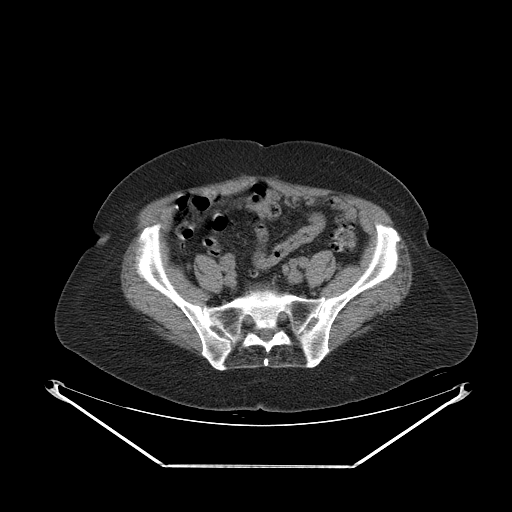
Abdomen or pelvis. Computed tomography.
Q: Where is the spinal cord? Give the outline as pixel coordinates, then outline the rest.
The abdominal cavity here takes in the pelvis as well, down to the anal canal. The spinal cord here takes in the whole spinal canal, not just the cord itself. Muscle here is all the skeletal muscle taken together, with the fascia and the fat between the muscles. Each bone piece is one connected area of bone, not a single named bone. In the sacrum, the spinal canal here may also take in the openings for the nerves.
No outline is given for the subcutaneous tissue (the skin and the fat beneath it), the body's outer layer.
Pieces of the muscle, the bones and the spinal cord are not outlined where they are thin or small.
A: Outlines (x, y in pixels):
spinal cord: 261,329 273,329 275,331 274,332 274,333 272,335 272,336 271,337 271,338 270,339 269,339 268,340 264,340 263,339 262,339 256,333 256,331 257,331 258,330 260,330
abdominal cavity: 257,180 285,195 338,196 359,210 367,241 355,264 338,266 330,249 307,260 308,285 327,282 319,297 264,286 210,306 210,293 223,287 220,266 198,253 192,264 197,286 171,260 173,206 184,194 231,195
bones: 375,223 400,236 396,269 338,312 329,352 314,367 305,367 291,334 290,344 268,352 232,342 226,369 215,369 189,319 135,266 141,232 159,224 165,273 192,304 219,306 264,287 329,298 368,266 with holes at 261,329 273,329 275,331 274,332 274,333 272,335 272,336 271,337 271,338 270,339 269,339 268,340 264,340 263,339 262,339 256,333 256,331 257,331 258,330 260,330 and at 246,315 248,315 249,316 250,316 250,317 251,318 251,320 252,321 252,324 251,325 251,326 248,328 246,328 245,327 244,327 244,326 243,325 243,324 244,323 243,322 243,318 244,317 244,316 245,316 and at 282,312 283,312 284,313 285,313 285,314 287,316 287,317 288,318 288,321 287,322 287,323 286,323 285,324 284,324 283,325 282,325 281,324 280,324 280,323 279,322 279,315 280,314 280,313 281,313
torso: 214,137 265,145 288,139 328,143 368,157 403,182 428,221 429,243 451,259 472,296 478,334 469,355 384,393 335,407 220,411 153,395 64,347 54,330 55,307 78,259 97,239 92,223 110,191 153,156
muscle 1: 242,175 276,176 291,183 333,189 364,198 383,208 402,234 411,258 412,284 402,303 390,311 371,331 352,338 324,359 330,352 330,330 339,312 350,300 388,279 397,269 398,244 401,236 393,226 375,222 375,245 363,272 338,295 320,296 320,289 328,282 326,280 316,286 309,285 305,275 308,260 322,250 330,250 338,267 357,264 369,238 369,234 360,220 360,210 333,193 325,195 285,194 272,189 263,179 257,179 246,189 231,194 184,193 176,198 172,206 173,226 166,238 170,260 181,266 186,277 197,287 200,285 193,264 198,254 213,259 219,266 222,287 218,292 209,293 207,305 201,306 186,300 170,281 162,261 161,225 159,223 145,226 137,238 134,257 136,273 181,310 198,335 201,355 212,367 199,356 170,343 149,329 142,314 127,302 120,283 123,254 136,232 134,230 135,217 145,205 172,192 221,182
muscle 2: 291,335 299,342 305,359 304,367 267,367 269,359 266,356 262,360 264,366 262,367 227,369 225,365 225,361 232,351 232,343 235,344 241,340 241,345 244,348 260,346 268,353 274,346 290,345 292,343